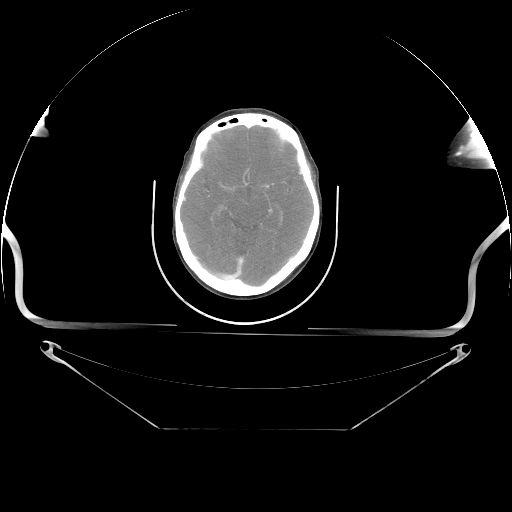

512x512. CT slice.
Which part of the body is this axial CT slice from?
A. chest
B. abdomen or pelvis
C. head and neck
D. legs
C. head and neck
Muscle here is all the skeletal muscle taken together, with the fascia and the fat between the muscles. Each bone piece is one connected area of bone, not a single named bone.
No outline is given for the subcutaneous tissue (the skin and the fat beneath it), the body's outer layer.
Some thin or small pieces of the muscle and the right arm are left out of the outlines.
Outlines:
bones: (242, 112) (259, 112) (271, 115) (285, 122) (297, 132) (309, 164) (311, 178) (320, 205) (316, 235) (305, 259) (277, 285) (265, 292) (253, 295) (225, 293) (201, 280) (188, 266) (181, 254) (175, 236) (173, 217) (178, 191) (189, 165) (197, 135) (212, 122) (224, 116), around a hole outlined by (239, 126) (268, 129) (282, 143) (287, 143) (294, 149) (298, 173) (309, 194) (312, 208) (299, 247) (276, 271) (255, 284) (246, 282) (234, 274) (220, 276) (205, 267) (192, 250) (181, 219) (186, 191) (194, 175) (204, 166) (202, 154) (208, 149) (209, 142) (214, 135)
head: (239, 107) (262, 107) (273, 110) (288, 118) (299, 128) (319, 169) (324, 206) (324, 221) (321, 237) (315, 253) (307, 265) (290, 283) (277, 292) (253, 300) (223, 298) (200, 286) (180, 262) (174, 249) (170, 233) (172, 192) (183, 154) (194, 132) (202, 123) (217, 113)
muscle 1: (472, 125) (478, 128) (479, 131) (483, 136) (483, 138) (485, 140) (485, 142) (487, 144) (488, 149) (493, 159) (489, 159) (488, 160) (472, 160) (471, 159) (465, 159) (460, 156) (459, 154) (459, 144) (460, 143) (461, 137) (464, 132) (465, 132) (466, 130) (470, 128)
muscle 2: (193, 144) (193, 147) (192, 148) (192, 151) (188, 162) (188, 165) (184, 172) (182, 181) (177, 191) (177, 196) (176, 197) (174, 208) (174, 201) (175, 200) (175, 195) (177, 192) (177, 185) (178, 184) (179, 177) (183, 169) (183, 166) (185, 163) (185, 161) (193, 146)
muscle 3: (302, 142) (316, 173) (316, 180) (317, 181) (317, 186) (319, 190) (320, 204) (319, 198) (318, 197) (317, 191) (316, 190) (316, 187) (315, 186) (314, 181) (312, 178) (312, 174) (311, 173) (310, 164) (307, 159) (307, 157) (306, 156)
brain: (239, 126) (268, 129) (282, 143) (287, 143) (294, 149) (298, 173) (309, 194) (312, 208) (299, 247) (276, 271) (255, 284) (246, 282) (234, 274) (220, 276) (205, 267) (192, 250) (181, 219) (186, 191) (194, 175) (204, 166) (202, 154) (208, 149) (209, 142) (214, 135)
left arm: (469, 116) (477, 126) (479, 131) (483, 136) (485, 142) (487, 144) (488, 149) (494, 162) (495, 169) (494, 168) (489, 168) (488, 169) (466, 169) (465, 168) (450, 167) (446, 165) (445, 163) (445, 153) (447, 149) (447, 146) (455, 133) (459, 129) (462, 124) (467, 120)
right arm: (48, 108) (48, 113) (47, 114) (47, 115) (45, 117) (45, 125) (50, 132) (50, 136) (47, 138) (45, 138) (44, 137) (37, 137) (35, 135) (31, 135) (31, 134) (33, 131) (33, 129) (34, 128) (36, 123) (41, 117) (41, 116) (43, 114) (43, 113)